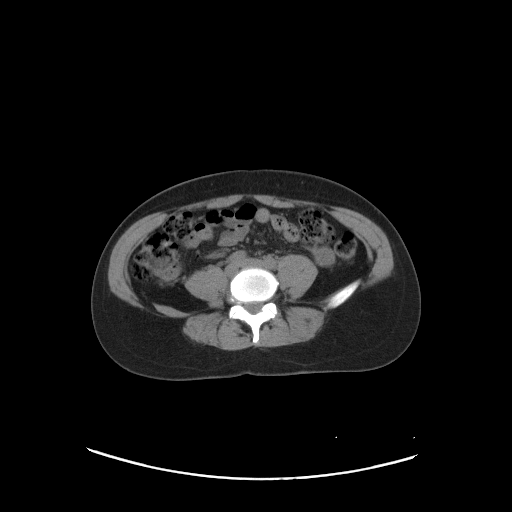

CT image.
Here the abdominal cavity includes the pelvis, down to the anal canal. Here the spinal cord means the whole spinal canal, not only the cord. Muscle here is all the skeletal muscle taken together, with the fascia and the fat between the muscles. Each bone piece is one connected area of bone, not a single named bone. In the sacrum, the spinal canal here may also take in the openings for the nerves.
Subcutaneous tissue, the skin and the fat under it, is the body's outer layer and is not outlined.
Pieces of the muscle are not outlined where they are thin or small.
{"torso":[[[255,168],[291,169],[327,177],[360,193],[388,217],[410,253],[421,291],[420,322],[409,347],[393,362],[360,372],[282,376],[243,374],[227,378],[172,381],[138,376],[118,366],[98,343],[89,308],[95,265],[112,231],[138,204],[172,184],[217,171]]],"spinal_cord":[[[248,302],[261,302],[262,303],[263,303],[262,304],[262,305],[261,306],[261,307],[260,308],[260,310],[259,311],[258,311],[256,313],[251,313],[250,312],[249,312],[244,307],[244,306],[243,305],[243,304],[244,303],[247,303]]],"abdominal_cavity":[[[244,198],[328,213],[364,245],[365,273],[324,297],[301,299],[318,269],[306,255],[290,253],[278,261],[275,274],[255,265],[242,267],[230,279],[217,264],[194,271],[184,286],[206,302],[201,310],[140,299],[128,260],[153,230],[178,212],[229,207]]],"bones":[{"outer":[[249,266],[260,267],[270,271],[274,274],[278,281],[277,289],[271,300],[276,304],[279,313],[260,325],[259,339],[256,343],[252,341],[252,330],[248,324],[239,319],[230,318],[228,316],[228,310],[233,303],[229,299],[230,280],[242,268]],"hole":[[248,302],[261,302],[262,303],[263,303],[262,304],[262,305],[261,306],[261,307],[260,308],[260,310],[259,311],[258,311],[256,313],[251,313],[250,312],[249,312],[244,307],[244,306],[243,305],[243,304],[244,303],[247,303]]},[[357,278],[360,278],[361,280],[360,281],[359,285],[353,292],[353,293],[345,301],[344,301],[341,304],[334,308],[327,308],[326,307],[330,298],[336,292],[337,292],[341,288],[342,288],[344,286],[345,286],[347,284],[348,284],[350,282]]],"muscle":[[[240,193],[314,201],[361,213],[377,224],[389,241],[394,262],[390,276],[349,298],[360,285],[360,277],[369,269],[366,247],[349,227],[318,207],[275,207],[244,197],[229,206],[178,211],[153,229],[127,260],[130,285],[144,303],[163,304],[188,312],[204,310],[207,302],[193,295],[185,282],[194,272],[217,265],[229,278],[228,299],[232,303],[227,316],[248,325],[251,341],[256,344],[261,325],[280,313],[272,298],[279,286],[275,275],[282,258],[290,254],[303,255],[317,269],[301,300],[319,300],[339,289],[326,304],[327,309],[333,309],[322,329],[308,341],[238,350],[195,343],[182,332],[175,319],[141,310],[110,290],[107,279],[110,254],[134,222],[154,211]]]}